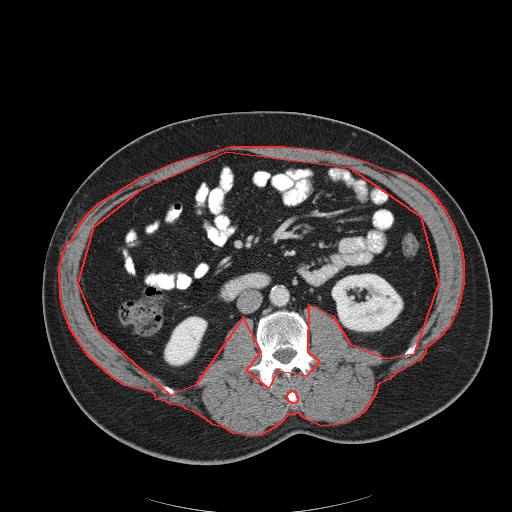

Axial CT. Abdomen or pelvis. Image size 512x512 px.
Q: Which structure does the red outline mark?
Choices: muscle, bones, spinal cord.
A: red: muscle.
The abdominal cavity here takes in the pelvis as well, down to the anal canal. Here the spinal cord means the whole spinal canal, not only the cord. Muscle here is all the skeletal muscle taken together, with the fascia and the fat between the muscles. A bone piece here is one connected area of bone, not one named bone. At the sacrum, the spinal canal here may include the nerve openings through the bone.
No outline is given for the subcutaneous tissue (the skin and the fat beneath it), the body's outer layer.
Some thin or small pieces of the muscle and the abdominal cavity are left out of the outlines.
muscle: (230, 146) (284, 146) (331, 151) (366, 161) (383, 169) (403, 173) (421, 183) (433, 194) (444, 209) (453, 225) (461, 248) (463, 262) (463, 283) (458, 306) (449, 326) (438, 338) (425, 348) (425, 353) (419, 360) (394, 374) (389, 379) (379, 383) (377, 385) (376, 392) (365, 410) (357, 417) (346, 423) (321, 426) (306, 419) (297, 412) (294, 414) (288, 414) (279, 424) (260, 435) (247, 436) (243, 434) (233, 433) (220, 425) (218, 426) (212, 424) (206, 419) (193, 411) (186, 409) (183, 406) (170, 404) (166, 401) (156, 399) (155, 395) (152, 392) (124, 385) (112, 377) (88, 356) (70, 329) (63, 310) (60, 296) (59, 270) (63, 251) (68, 242) (72, 239) (74, 233) (85, 216) (98, 203) (142, 176) (176, 161); inner edges: (226, 151) (349, 167) (420, 216) (438, 283) (413, 354) (385, 359) (351, 345) (334, 317) (308, 305) (307, 351) (319, 361) (306, 376) (277, 371) (268, 388) (246, 370) (261, 351) (243, 317) (195, 385) (170, 395) (98, 331) (78, 283) (94, 226) (142, 188), then (292, 390) (293, 391) (294, 391) (295, 392) (295, 393) (296, 394) (296, 396) (297, 397) (297, 401) (295, 403) (292, 403) (291, 402) (290, 402) (288, 400) (288, 399) (287, 398) (287, 394) (290, 391) (291, 391)
torso: (244, 111) (313, 114) (369, 130) (417, 160) (462, 209) (485, 257) (492, 326) (477, 375) (437, 414) (377, 441) (337, 443) (298, 433) (239, 461) (199, 465) (158, 458) (124, 444) (98, 427) (70, 395) (46, 335) (42, 276) (51, 236) (71, 196) (106, 158) (154, 129)
bones 1: (278, 310) (294, 311) (303, 317) (309, 330) (307, 351) (319, 361) (310, 365) (311, 370) (306, 376) (297, 368) (292, 371) (289, 378) (277, 371) (272, 387) (268, 388) (260, 381) (256, 370) (246, 369) (257, 364) (261, 359) (261, 351) (255, 335) (259, 319); inner edge: (288, 348) (289, 348) (290, 349) (292, 349) (293, 350) (294, 350) (295, 351) (295, 355) (287, 363) (283, 363) (282, 362) (281, 362) (279, 360) (278, 360) (276, 358) (275, 358) (274, 357) (274, 356) (273, 355) (273, 354) (276, 351) (277, 351) (279, 349) (287, 349)
bones 2: (415, 343) (416, 344) (417, 344) (417, 348) (416, 349) (416, 351) (413, 354) (412, 354) (411, 355) (410, 355) (409, 356) (408, 356) (407, 357) (405, 357) (404, 356) (404, 352) (406, 350) (406, 349) (408, 347) (409, 347) (411, 345) (412, 345) (413, 344) (414, 344)
bones 3: (292, 390) (293, 391) (294, 391) (295, 392) (295, 393) (296, 394) (296, 396) (297, 397) (297, 401) (295, 403) (292, 403) (291, 402) (290, 402) (288, 400) (288, 399) (287, 398) (287, 394) (290, 391) (291, 391)
bones 4: (164, 385) (167, 385) (168, 386) (169, 386) (170, 387) (171, 387) (175, 391) (175, 392) (174, 393) (174, 394) (172, 394) (171, 395) (170, 395) (169, 394) (167, 394) (166, 393) (164, 393) (161, 390) (161, 389) (162, 388) (162, 387)
abdominal cavity: (226, 151) (349, 167) (420, 216) (435, 244) (438, 283) (434, 308) (405, 349) (385, 359) (349, 344) (338, 321) (316, 305) (302, 315) (278, 309) (261, 316) (255, 332) (252, 318) (239, 319) (221, 357) (193, 387) (178, 387) (98, 331) (78, 283) (94, 226) (142, 188)
spinal cord: (288, 348) (289, 348) (290, 349) (292, 349) (293, 350) (294, 350) (295, 351) (295, 355) (287, 363) (283, 363) (282, 362) (281, 362) (279, 360) (278, 360) (276, 358) (275, 358) (274, 357) (274, 356) (273, 355) (273, 354) (276, 351) (277, 351) (279, 349) (287, 349)